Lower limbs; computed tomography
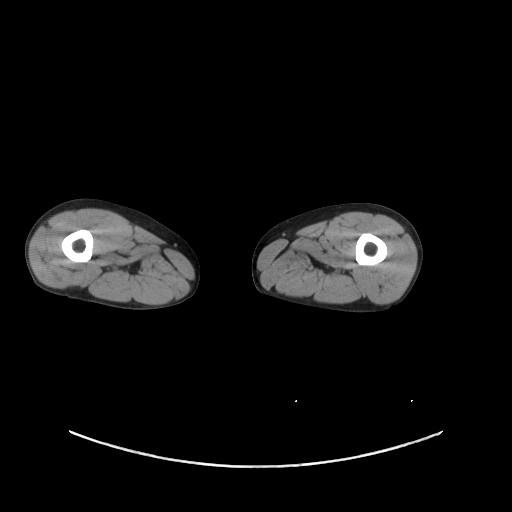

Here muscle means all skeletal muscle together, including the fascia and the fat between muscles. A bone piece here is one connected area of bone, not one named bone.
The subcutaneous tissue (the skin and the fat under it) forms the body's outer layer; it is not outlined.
Outlined structures:
left leg: 348 202; 371 202; 387 206; 402 214; 411 222; 416 229; 423 248; 423 261; 419 275; 411 291; 405 299; 399 304; 385 311; 352 313; 326 310; 289 303; 259 293; 254 286; 251 275; 252 254; 259 239; 271 227; 287 218; 318 207
bones 1: 78 229; 88 229; 89 231; 92 234; 93 236; 93 238; 94 239; 94 245; 93 246; 93 252; 92 253; 92 256; 91 258; 87 262; 73 262; 71 261; 64 254; 64 253; 62 251; 60 247; 60 243; 62 239; 66 235
bones 2: 364 232; 370 232; 374 234; 376 236; 381 238; 385 242; 387 246; 387 255; 386 257; 382 261; 381 261; 376 265; 359 265; 357 263; 355 259; 355 244; 356 243; 356 241; 357 239; 359 237; 359 235; 361 233; 363 233
muscle 1: 349 210; 377 211; 388 216; 393 216; 408 229; 417 249; 417 265; 407 288; 397 300; 384 305; 330 304; 323 302; 317 302; 314 300; 304 298; 277 294; 269 292; 263 288; 256 276; 256 264; 260 252; 273 237; 287 230; 303 226; inner edge: 364 232; 370 232; 374 234; 376 236; 381 238; 385 242; 387 246; 387 255; 386 257; 382 261; 381 261; 376 265; 359 265; 357 263; 355 259; 355 244; 356 243; 356 241; 357 239; 359 237; 359 235; 361 233; 363 233
muscle 2: 85 207; 103 208; 116 212; 135 221; 179 248; 190 258; 196 270; 195 283; 189 292; 180 300; 173 303; 157 306; 138 306; 104 300; 74 290; 51 288; 41 283; 31 267; 28 255; 29 243; 34 232; 45 217; 50 217; 64 210 with a hole at 78 229; 88 229; 89 231; 92 234; 93 236; 93 238; 94 239; 94 245; 93 246; 93 252; 92 253; 92 256; 91 258; 87 262; 73 262; 71 261; 64 254; 64 253; 62 251; 60 247; 60 243; 62 239; 66 235
right leg: 81 197; 99 198; 139 210; 159 221; 181 236; 195 252; 200 265; 200 281; 194 295; 184 302; 171 307; 154 310; 129 310; 61 297; 43 291; 37 287; 33 282; 28 271; 24 257; 24 243; 28 231; 34 222; 51 207; 63 201